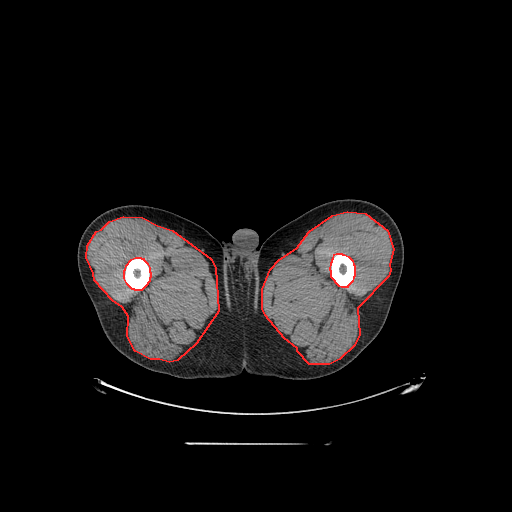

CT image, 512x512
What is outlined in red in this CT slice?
red: muscle.
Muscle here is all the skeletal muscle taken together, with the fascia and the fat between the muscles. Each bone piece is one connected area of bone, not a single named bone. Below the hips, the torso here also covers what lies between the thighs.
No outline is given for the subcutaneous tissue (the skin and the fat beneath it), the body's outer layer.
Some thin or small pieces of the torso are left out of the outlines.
{"muscle":[{"outer":[[347,211],[365,213],[387,230],[393,249],[389,264],[390,270],[388,276],[357,308],[359,334],[354,345],[339,359],[329,364],[309,364],[297,351],[297,348],[284,338],[265,315],[262,308],[262,289],[270,269],[279,259],[296,248],[309,231],[332,215]],"hole":[[336,253],[341,253],[342,254],[344,254],[348,256],[352,260],[353,264],[354,265],[354,276],[353,277],[352,281],[347,286],[347,287],[341,287],[339,286],[331,277],[331,271],[330,270],[331,262],[332,261],[332,259],[333,258],[334,254]]},{"outer":[[123,216],[142,217],[157,225],[172,230],[210,258],[215,267],[218,311],[196,343],[177,360],[169,362],[159,359],[150,359],[135,351],[127,336],[128,316],[122,307],[112,300],[94,280],[93,273],[86,257],[87,245],[96,231],[101,229],[109,221]],"hole":[[135,257],[140,257],[141,258],[143,258],[143,259],[147,263],[149,267],[149,271],[150,272],[150,277],[149,278],[149,281],[147,283],[147,284],[141,290],[135,290],[134,289],[132,289],[127,284],[124,278],[124,270],[125,269],[126,265],[131,259]]}],"torso":[[[239,228],[253,229],[259,236],[259,247],[256,251],[254,264],[255,307],[274,376],[250,374],[243,370],[238,375],[224,378],[188,379],[192,378],[204,365],[209,351],[222,328],[228,309],[228,296],[224,282],[224,253],[221,241],[229,242],[232,234]]],"bones":[[[135,257],[140,257],[141,258],[143,258],[143,259],[147,263],[149,267],[149,271],[150,272],[150,277],[149,278],[149,281],[147,283],[147,284],[141,290],[135,290],[134,289],[132,289],[127,284],[124,278],[124,270],[125,269],[126,265],[131,259]],[[336,253],[341,253],[342,254],[344,254],[348,256],[352,260],[353,264],[354,265],[354,276],[353,277],[352,281],[347,286],[347,287],[341,287],[339,286],[331,277],[331,271],[330,270],[331,262],[332,261],[332,259],[333,258],[334,254]]],"right_leg":[[[127,204],[149,205],[171,211],[199,224],[220,241],[223,253],[223,282],[227,296],[227,309],[221,328],[208,351],[203,365],[190,378],[179,378],[146,369],[116,350],[106,337],[93,304],[82,284],[77,266],[77,247],[84,229],[102,212],[113,207]]],"left_leg":[[[345,198],[366,200],[378,205],[393,218],[400,230],[404,246],[403,268],[386,321],[373,341],[355,359],[340,370],[323,377],[308,380],[284,379],[276,377],[273,372],[265,335],[257,315],[255,277],[257,251],[266,238],[284,224],[317,205],[328,201]]]}